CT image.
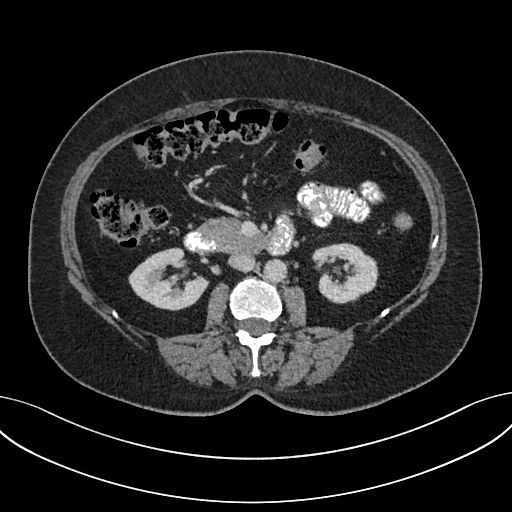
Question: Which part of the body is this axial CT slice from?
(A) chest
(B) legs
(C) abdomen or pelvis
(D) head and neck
Answer: (C) abdomen or pelvis
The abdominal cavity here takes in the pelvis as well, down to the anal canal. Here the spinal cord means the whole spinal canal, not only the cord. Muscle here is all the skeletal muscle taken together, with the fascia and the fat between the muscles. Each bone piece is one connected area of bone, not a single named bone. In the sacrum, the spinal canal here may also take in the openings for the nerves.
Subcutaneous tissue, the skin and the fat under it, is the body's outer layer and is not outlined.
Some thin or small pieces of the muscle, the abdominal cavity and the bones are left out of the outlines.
Outlines:
bones 1: [[246,277],[255,277],[274,285],[279,293],[283,307],[282,312],[275,320],[277,336],[271,343],[261,346],[258,351],[257,365],[260,374],[256,377],[252,376],[250,373],[253,366],[251,349],[241,344],[234,335],[236,320],[228,304],[230,292],[239,281]], around a hole outlined by [[248,318],[256,318],[257,319],[263,319],[267,321],[270,324],[271,326],[270,328],[270,330],[267,332],[265,332],[261,334],[259,336],[252,336],[247,330],[243,328],[241,328],[240,327],[240,322]]
bones 2: [[389,306],[391,306],[391,308],[390,309],[390,311],[384,317],[383,317],[382,318],[379,318],[378,317],[378,315],[385,308],[386,308],[387,307],[388,307]]
torso: [[244,49],[309,56],[387,86],[422,113],[461,168],[479,224],[481,297],[465,347],[427,383],[339,415],[289,411],[257,394],[221,413],[173,415],[83,386],[64,373],[41,344],[28,304],[29,224],[42,174],[66,132],[93,103],[134,76],[195,55]]
abdominal cavity: [[240,100],[360,129],[401,157],[423,192],[431,223],[423,270],[406,295],[344,329],[308,326],[299,285],[283,285],[279,292],[246,276],[230,291],[223,281],[213,287],[202,331],[170,336],[130,323],[97,295],[76,239],[78,202],[97,165],[142,131]]
spinal cord: [[248,318],[256,318],[257,319],[263,319],[267,321],[270,324],[271,326],[270,328],[270,330],[267,332],[265,332],[261,334],[259,336],[252,336],[247,330],[243,328],[241,328],[240,327],[240,322]]
muscle: [[235,96],[297,99],[366,120],[416,149],[441,183],[447,252],[428,295],[381,336],[356,343],[333,375],[311,389],[278,389],[260,375],[259,351],[278,336],[283,286],[303,290],[308,327],[344,330],[376,316],[382,319],[419,281],[428,251],[436,248],[440,236],[436,233],[431,241],[430,209],[412,169],[395,149],[369,132],[240,99],[132,135],[108,151],[85,182],[75,212],[75,239],[96,295],[112,309],[115,319],[120,316],[140,329],[170,337],[202,332],[212,290],[220,282],[227,284],[227,304],[235,320],[233,335],[251,352],[251,376],[240,386],[204,387],[179,376],[158,353],[139,349],[96,314],[64,272],[60,209],[79,164],[103,142],[147,118],[191,102]]